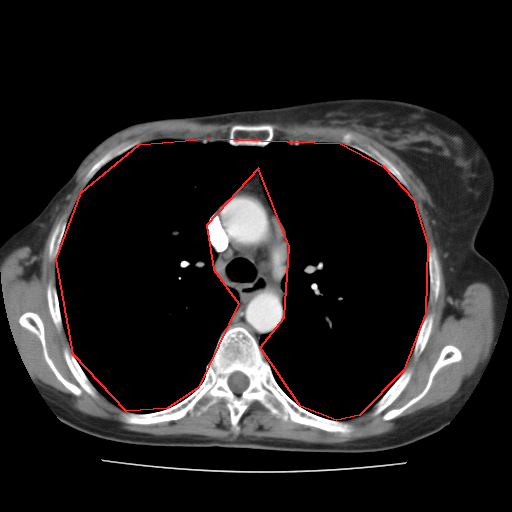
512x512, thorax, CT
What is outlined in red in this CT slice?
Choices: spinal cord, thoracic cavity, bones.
red: thoracic cavity.
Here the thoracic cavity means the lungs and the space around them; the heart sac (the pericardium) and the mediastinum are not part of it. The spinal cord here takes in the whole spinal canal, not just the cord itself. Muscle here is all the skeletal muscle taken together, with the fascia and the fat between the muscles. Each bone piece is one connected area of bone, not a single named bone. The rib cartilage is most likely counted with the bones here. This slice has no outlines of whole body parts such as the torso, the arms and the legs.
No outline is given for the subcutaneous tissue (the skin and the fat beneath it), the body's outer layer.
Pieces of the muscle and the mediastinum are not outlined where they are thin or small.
Outlined structures:
thoracic cavity: 208,138 340,143 383,166 413,199 427,244 425,313 403,370 359,415 336,420 300,406 260,347 284,317 289,246 258,168 206,225 213,269 238,303 198,387 167,408 126,411 73,354 56,259 81,192 139,144
bones 1: 235,326 254,337 275,381 296,404 320,417 348,422 353,429 330,432 283,420 256,400 242,414 238,430 232,429 223,399 198,415 188,412 179,419 152,424 122,421 123,411 161,411 193,393 205,378 221,334; inner edge: 236,371 241,372 243,374 244,374 247,377 247,378 248,379 248,385 247,386 247,387 243,391 242,391 240,393 235,393 229,387 229,385 228,384 228,380 229,379 229,377 230,376 230,375 232,373 233,373
bones 2: 25,312 34,312 41,319 47,353 59,373 69,382 78,387 80,386 65,360 63,349 64,347 67,347 97,390 97,396 95,398 83,389 81,390 80,395 74,394 57,378 44,357 39,338 19,323 20,316
bones 3: 238,124 240,124 241,125 262,125 263,124 269,124 273,127 273,130 274,131 274,136 273,137 273,139 269,143 264,146 258,146 257,145 232,145 228,142 228,136 229,135 229,131 232,126 234,125 237,125
bones 4: 446,345 453,345 457,347 461,352 461,359 459,361 452,362 441,367 434,375 427,392 419,400 409,406 396,417 384,420 382,417 386,412 391,409 400,408 417,396 424,389 427,384 430,372 438,359 441,350
bones 5: 346,133 351,133 353,137 353,140 352,141 354,143 360,144 362,146 368,146 369,145 376,149 387,158 400,172 401,175 408,185 408,190 397,179 397,178 383,165 362,151 352,146 341,143 340,139 341,137
bones 6: 407,368 411,368 412,370 412,374 411,375 411,377 409,381 407,383 407,384 405,386 403,390 399,394 399,395 381,412 380,412 376,415 372,415 371,414 374,409 374,405 391,387 391,386 400,376 402,372
bones 7: 137,138 140,139 140,142 138,144 133,146 120,155 113,158 107,163 103,165 93,175 87,183 85,185 84,184 83,180 89,170 94,165 94,164 95,164 109,150 117,146 122,142 124,142 128,140 133,140
bones 8: 429,247 433,247 435,249 436,251 437,259 438,260 438,263 439,264 439,268 440,269 440,283 439,284 439,291 438,292 437,299 435,301 429,300 429,292 430,291 430,278 429,277 429,255 428,254 428,248
bones 9: 50,281 52,281 55,285 55,288 57,293 57,298 59,304 59,310 61,315 61,320 62,321 62,326 63,327 60,331 57,329 52,319 49,310 49,307 48,306 48,301 47,300 47,286 48,283
bones 10: 430,313 433,315 433,323 432,324 431,331 430,332 429,337 427,340 427,342 423,350 419,356 417,358 415,358 412,354 414,349 414,346 415,345 418,334 420,331 422,323 424,320 424,318 427,314 429,314
bones 11: 65,216 66,217 67,221 66,222 65,229 64,230 64,232 63,233 63,235 62,236 62,238 59,245 59,249 57,252 57,255 56,256 55,261 50,261 50,259 49,258 49,245 50,244 51,237 57,224
spinal cord: 236,371 241,372 243,374 244,374 247,377 247,378 248,379 248,385 247,386 247,387 243,391 242,391 240,393 235,393 229,387 229,385 228,384 228,380 229,379 229,377 230,376 230,375 232,373 233,373
mediastinum: 258,169 267,200 285,229 288,246 288,271 281,285 285,291 282,301 283,317 279,326 263,334 258,342 241,325 227,327 238,307 239,297 233,288 223,283 214,269 217,254 208,239 207,232 209,219 215,210
muscle: 166,120 239,123 230,127 227,140 140,143 137,137 120,142 88,170 67,219 65,215 56,224 50,237 55,284 47,283 47,306 56,329 65,332 70,349 64,346 62,354 79,386 50,357 40,316 25,311 18,318 38,338 46,363 71,393 80,396 83,390 95,399 99,392 123,410 119,419 126,424 198,416 223,400 231,429 238,431 256,401 283,421 348,434 354,428 344,421 373,406 370,414 378,415 404,390 413,374 411,367 404,368 411,355 420,356 430,337 434,315 425,315 426,309 428,301 438,299 441,283 437,251 428,247 408,183 380,151 354,142 351,132 340,142 300,143 274,139 274,127 262,123 347,127 395,153 422,181 434,205 451,296 461,299 474,282 488,284 493,294 492,350 471,389 383,439 346,444 120,433 88,424 42,396 10,329 0,265 17,248 28,246 34,255 42,251 80,169 103,144 134,126; inner edge: 446,345 453,345 457,347 461,352 461,359 459,361 452,362 441,367 434,375 427,392 419,400 409,406 396,417 384,420 382,417 386,412 391,409 400,408 417,396 424,389 427,384 430,372 438,359 441,350